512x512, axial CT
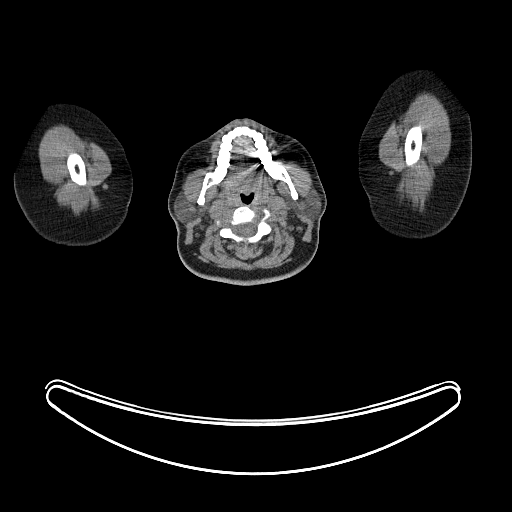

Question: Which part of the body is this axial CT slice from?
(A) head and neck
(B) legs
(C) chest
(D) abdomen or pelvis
Answer: (A) head and neck
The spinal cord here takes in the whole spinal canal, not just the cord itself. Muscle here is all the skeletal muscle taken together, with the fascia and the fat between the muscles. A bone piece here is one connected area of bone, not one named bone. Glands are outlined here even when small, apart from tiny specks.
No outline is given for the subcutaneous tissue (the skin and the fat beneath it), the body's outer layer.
The muscle appears in 3 outlined pieces: piece 1: 239 122; 247 122; 254 125; 259 130; 262 130; 271 135; 279 144; 287 144; 299 163; 307 168; 313 182; 313 186; 293 207; 297 213; 313 219; 311 240; 305 246; 303 251; 292 262; 278 268; 246 271; 239 269; 220 269; 210 267; 196 260; 184 242; 184 224; 192 219; 196 214; 195 207; 181 189; 184 179; 187 173; 195 166; 196 160; 199 156; 205 154; 209 149; 211 142; 218 135; inner edges: 240 125; 255 129; 263 135; 273 159; 285 165; 298 193; 296 200; 291 197; 289 187; 284 181; 275 179; 266 171; 258 157; 254 141; 241 136; 232 142; 225 175; 205 191; 204 203; 197 203; 205 174; 216 166; 222 136, then 243 205; 247 205; 259 215; 263 214; 262 210; 264 208; 269 211; 266 222; 271 228; 270 232; 257 242; 248 245; 237 242; 231 238; 222 237; 219 234; 221 227; 216 223; 219 219; 223 226; 226 223; 226 220; 231 217; 234 210, then 250 194; 252 194; 253 195; 253 197; 252 198; 252 199; 251 200; 251 201; 250 201; 249 202; 248 202; 247 203; 246 203; 245 202; 244 202; 243 201; 242 201; 242 197; 241 196; 242 195; 243 195; 244 196; 248 196; piece 2: 424 90; 434 93; 441 100; 448 111; 451 130; 451 145; 447 158; 438 168; 437 177; 433 189; 427 200; 425 214; 422 214; 411 211; 398 202; 393 179; 386 167; 380 162; 378 158; 378 144; 390 122; 407 108; 409 103; 416 94 with a hole at 416 125; 420 125; 422 127; 422 141; 421 142; 421 150; 420 151; 420 153; 419 154; 419 158; 417 162; 412 166; 407 166; 405 163; 405 153; 404 152; 404 144; 405 143; 405 139; 406 138; 406 136; 409 129; 412 126; 415 126; piece 3: 59 123; 69 126; 78 135; 90 138; 106 152; 110 159; 112 165; 112 175; 109 187; 101 195; 101 201; 103 207; 91 214; 73 216; 65 213; 54 199; 50 184; 46 182; 42 177; 39 165; 38 145; 44 131; 50 126; inner edge: 72 152; 75 152; 79 154; 84 162; 84 164; 85 165; 85 173; 86 174; 86 184; 85 185; 78 185; 75 182; 74 182; 71 179; 70 177; 70 174; 69 173; 69 171; 67 167; 67 157; 68 155. The left arm is outlined by 414 68; 427 68; 443 82; 469 115; 472 133; 471 173; 467 190; 460 209; 453 221; 443 231; 433 237; 420 240; 408 240; 393 236; 377 225; 370 213; 368 198; 360 182; 357 170; 358 144; 360 136; 377 101; 394 78; 401 73. The head and neck is outlined by 236 118; 250 118; 271 129; 297 139; 309 152; 325 191; 327 203; 320 220; 319 243; 315 254; 303 270; 283 280; 242 286; 204 279; 188 270; 177 252; 177 231; 174 221; 169 214; 167 201; 178 160; 182 153; 192 144; 209 136, around a hole outlined by 250 194; 252 194; 253 195; 253 197; 252 198; 252 199; 251 200; 251 201; 250 201; 249 202; 248 202; 247 203; 246 203; 245 202; 244 202; 243 201; 242 201; 242 197; 241 196; 242 195; 243 195; 244 196; 248 196. The spinal cord is outlined by 249 222; 255 222; 255 223; 256 224; 256 231; 253 235; 252 235; 251 236; 242 236; 241 235; 238 235; 237 234; 236 234; 233 231; 233 227; 234 226; 235 226; 236 225; 238 225; 239 224; 244 224; 245 223; 248 223. The right arm is outlined by 55 102; 69 102; 78 104; 95 113; 108 126; 123 146; 132 169; 133 191; 128 208; 128 213; 124 222; 111 236; 98 243; 88 246; 70 247; 59 245; 48 241; 38 235; 24 216; 14 193; 13 176; 23 150; 41 117; 47 108. The bones appear in 4 outlined pieces: piece 1: 240 125; 255 129; 263 135; 273 159; 285 165; 298 193; 296 200; 291 197; 289 187; 284 181; 275 179; 266 171; 258 157; 254 141; 241 136; 232 142; 225 175; 205 191; 204 203; 197 203; 205 174; 216 166; 222 136; piece 2: 243 205; 247 205; 259 215; 263 214; 262 210; 264 208; 269 211; 266 222; 271 228; 270 232; 257 242; 248 245; 237 242; 231 238; 222 237; 219 234; 221 227; 216 223; 219 219; 223 226; 226 223; 226 220; 231 217; 234 210 with a hole at 249 222; 255 222; 255 223; 256 224; 256 231; 253 235; 252 235; 251 236; 242 236; 241 235; 238 235; 237 234; 236 234; 233 231; 233 227; 234 226; 235 226; 236 225; 238 225; 239 224; 244 224; 245 223; 248 223; piece 3: 416 125; 420 125; 422 127; 422 141; 421 142; 421 150; 420 151; 420 153; 419 154; 419 158; 417 162; 412 166; 407 166; 405 163; 405 153; 404 152; 404 144; 405 143; 405 139; 406 138; 406 136; 409 129; 412 126; 415 126; piece 4: 72 152; 75 152; 79 154; 84 162; 84 164; 85 165; 85 173; 86 174; 86 184; 85 185; 78 185; 75 182; 74 182; 71 179; 70 177; 70 174; 69 173; 69 171; 67 167; 67 157; 68 155. The parotid glands appear in 2 outlined pieces: piece 1: 313 187; 314 187; 318 192; 318 194; 320 197; 320 202; 321 203; 320 204; 320 210; 319 211; 318 215; 316 217; 312 218; 311 217; 308 217; 303 214; 301 214; 297 212; 294 208; 294 207; 297 204; 297 203; 300 200; 301 200; piece 2: 179 190; 181 190; 184 193; 185 196; 187 198; 189 202; 194 207; 195 209; 195 214; 194 216; 189 220; 186 221; 183 224; 182 224; 177 218; 174 212; 174 207; 173 206; 174 205; 174 201; 176 198; 177 193.